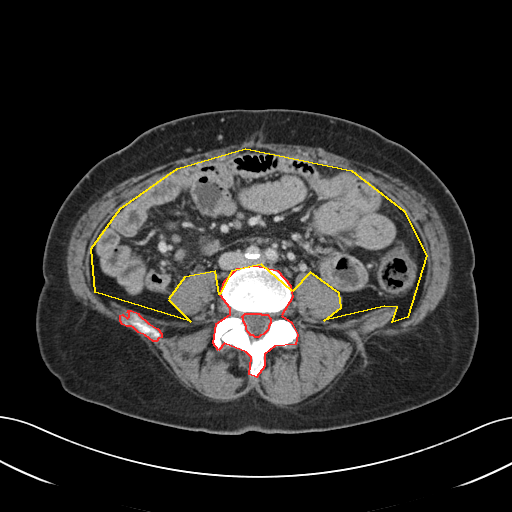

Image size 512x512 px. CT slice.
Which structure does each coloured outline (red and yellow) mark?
red: bones; yellow: abdominal cavity.
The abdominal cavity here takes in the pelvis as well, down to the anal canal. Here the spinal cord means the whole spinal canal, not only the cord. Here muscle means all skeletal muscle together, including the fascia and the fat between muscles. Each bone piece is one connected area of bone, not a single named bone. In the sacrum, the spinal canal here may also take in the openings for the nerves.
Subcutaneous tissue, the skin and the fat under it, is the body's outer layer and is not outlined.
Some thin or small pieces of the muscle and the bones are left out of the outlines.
The bones appear in 2 outlined pieces: piece 1: [[255,265],[277,270],[290,285],[292,297],[281,315],[291,322],[297,334],[295,344],[274,346],[264,354],[264,366],[256,377],[249,374],[251,357],[246,352],[224,343],[218,350],[213,343],[216,323],[230,314],[230,308],[220,295],[224,281],[237,268]]; inner edge: [[245,313],[260,313],[261,314],[267,314],[270,318],[270,323],[268,326],[268,328],[267,330],[263,334],[260,335],[258,337],[255,337],[253,335],[250,335],[250,334],[247,331],[246,329],[246,326],[243,321],[243,318],[242,317],[242,316]]; piece 2: [[128,310],[131,310],[138,313],[138,314],[148,323],[157,328],[161,333],[161,337],[158,338],[156,341],[153,341],[145,335],[138,332],[133,327],[131,326],[126,326],[122,324],[120,321],[120,315],[122,314],[127,318],[129,316],[129,313],[127,312]]. The abdominal cavity is outlined by [[245,148],[351,170],[403,210],[426,255],[407,317],[392,322],[397,307],[384,306],[324,320],[341,307],[339,293],[310,272],[292,291],[261,264],[231,271],[219,294],[215,271],[184,277],[168,299],[190,321],[95,292],[91,248],[120,208],[177,168]]. The muscle is outlined by [[251,139],[254,141],[261,140],[265,143],[284,143],[285,144],[295,144],[296,145],[304,145],[312,147],[320,147],[326,151],[371,166],[400,179],[408,185],[410,185],[415,190],[423,195],[433,205],[442,222],[442,224],[444,226],[450,248],[450,259],[451,260],[450,272],[449,273],[450,277],[447,284],[445,293],[437,306],[414,329],[409,332],[394,336],[374,335],[370,337],[362,345],[354,358],[323,394],[302,405],[285,408],[284,409],[282,409],[278,406],[267,401],[255,392],[249,392],[237,399],[229,401],[215,401],[200,394],[198,394],[195,391],[192,391],[188,389],[180,383],[174,375],[163,365],[159,359],[152,352],[146,342],[137,334],[126,327],[104,316],[96,310],[91,309],[88,306],[83,304],[80,300],[77,299],[70,287],[67,275],[67,262],[66,261],[67,248],[72,231],[80,217],[94,202],[108,190],[132,176],[139,175],[148,170],[150,170],[170,161],[173,161],[180,158],[188,157],[199,152],[204,152],[212,149],[221,148],[232,144],[239,144],[245,140],[250,140]] with a hole at [[245,148],[351,170],[403,210],[426,255],[421,295],[407,317],[392,322],[397,307],[384,306],[340,322],[324,320],[341,307],[342,296],[300,272],[281,312],[296,343],[270,348],[256,377],[246,352],[213,343],[216,323],[230,314],[216,293],[215,271],[194,271],[169,294],[190,321],[138,313],[160,331],[156,341],[122,324],[120,315],[127,318],[130,309],[102,299],[90,281],[91,248],[102,227],[169,172]]. The spinal cord is outlined by [[245,313],[260,313],[261,314],[267,314],[270,318],[270,323],[268,326],[268,328],[267,330],[263,334],[260,335],[258,337],[255,337],[253,335],[250,335],[250,334],[247,331],[246,329],[246,326],[243,321],[243,318],[242,317],[242,316]]. The torso is outlined by [[267,108],[315,111],[366,125],[411,150],[450,190],[474,247],[479,310],[477,345],[461,382],[437,400],[362,424],[302,433],[235,435],[142,420],[65,391],[40,357],[34,318],[44,281],[41,264],[46,237],[67,194],[96,162],[155,125],[203,111]].